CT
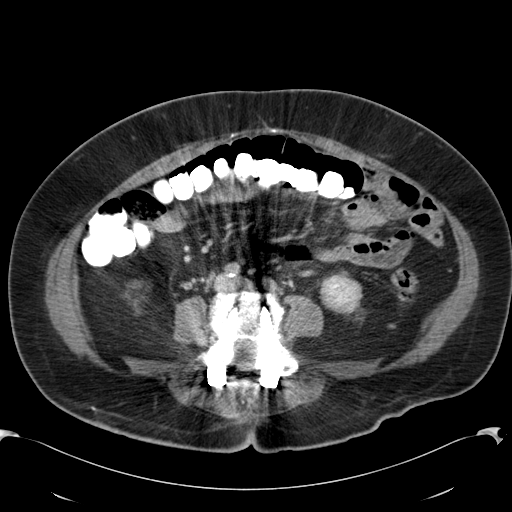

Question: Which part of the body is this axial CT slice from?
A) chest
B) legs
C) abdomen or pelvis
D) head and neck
Answer: C) abdomen or pelvis
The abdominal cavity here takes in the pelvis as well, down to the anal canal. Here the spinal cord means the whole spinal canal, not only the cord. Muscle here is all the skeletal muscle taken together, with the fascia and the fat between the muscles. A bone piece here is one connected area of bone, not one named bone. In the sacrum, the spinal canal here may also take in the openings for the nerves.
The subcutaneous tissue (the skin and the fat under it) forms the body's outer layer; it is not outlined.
{"muscle":[{"outer":[[274,127],[279,127],[284,129],[294,129],[299,131],[314,133],[328,138],[332,138],[354,149],[362,151],[367,154],[370,154],[380,161],[403,172],[406,175],[419,182],[438,200],[441,201],[468,231],[476,250],[479,263],[480,278],[477,297],[474,301],[471,310],[461,325],[447,339],[441,348],[425,361],[418,362],[410,366],[394,368],[388,371],[376,373],[370,376],[361,376],[352,379],[336,380],[327,389],[321,399],[317,403],[314,403],[308,407],[303,407],[295,411],[283,412],[278,414],[248,412],[242,416],[230,419],[224,419],[219,416],[206,415],[195,411],[187,406],[180,405],[172,396],[168,389],[164,385],[160,384],[154,378],[141,375],[133,375],[129,377],[120,376],[108,372],[102,368],[96,366],[85,358],[80,359],[71,352],[52,326],[44,301],[44,282],[47,262],[51,253],[59,241],[67,234],[70,229],[75,225],[95,202],[99,200],[131,174],[161,156],[170,153],[177,148],[182,147],[194,141],[210,137],[214,138],[221,137],[230,133],[241,132],[256,128],[273,128]],"hole":[[258,132],[363,162],[430,197],[456,244],[455,286],[413,346],[384,363],[297,354],[298,338],[322,334],[324,314],[291,294],[279,330],[298,360],[290,375],[207,365],[198,354],[123,355],[127,368],[112,365],[91,345],[79,297],[76,247],[88,218]]},[[193,296],[199,296],[201,297],[207,305],[207,319],[208,320],[206,324],[210,330],[210,333],[208,336],[209,344],[205,350],[204,348],[200,347],[198,345],[193,343],[186,343],[185,342],[172,340],[175,306],[178,302],[180,302],[187,298],[190,298]]],"bones":[[[242,289],[276,296],[278,303],[286,311],[280,323],[280,341],[298,360],[297,371],[290,375],[250,371],[256,364],[257,347],[246,337],[234,341],[234,355],[230,364],[203,363],[199,355],[208,348],[211,333],[207,324],[208,305],[218,293]]],"spinal_cord":[[[246,338],[253,342],[255,345],[256,347],[256,356],[255,357],[255,364],[254,365],[254,367],[249,371],[242,372],[236,369],[233,365],[232,366],[230,365],[234,359],[234,356],[235,355],[235,341],[236,340],[240,340],[241,339],[245,339]]],"abdominal_cavity":[[[258,132],[363,162],[430,197],[456,244],[455,286],[413,346],[384,363],[297,354],[298,338],[324,330],[320,306],[291,294],[285,310],[272,292],[242,288],[175,304],[171,340],[201,353],[112,365],[91,345],[79,297],[76,247],[88,218]]],"torso":[[[287,88],[343,91],[392,108],[448,141],[490,185],[511,235],[511,302],[487,373],[469,390],[413,407],[371,433],[275,453],[260,453],[252,445],[217,453],[153,444],[56,407],[24,368],[9,318],[10,249],[34,191],[85,140],[139,110],[203,92]]]}